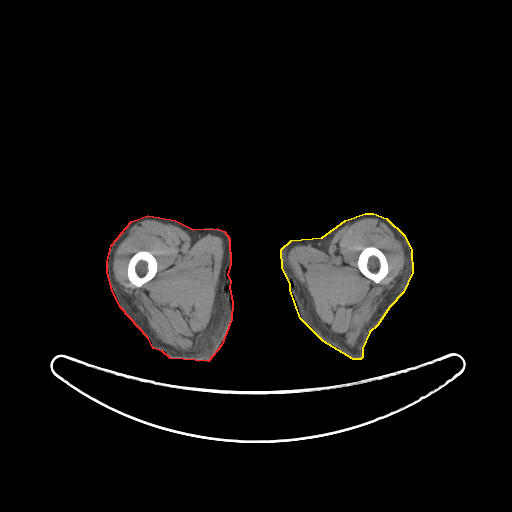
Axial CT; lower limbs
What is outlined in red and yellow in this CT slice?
red: right leg; yellow: left leg.
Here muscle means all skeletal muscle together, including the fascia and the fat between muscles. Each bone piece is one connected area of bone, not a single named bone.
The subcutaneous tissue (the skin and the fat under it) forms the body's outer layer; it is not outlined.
Outlines (x, y in pixels):
right leg: 148,215 175,220 193,229 217,228 224,231 229,238 230,264 227,274 230,281 229,287 232,302 231,319 221,345 208,361 170,358 162,351 153,348 148,338 120,307 112,290 107,272 107,261 111,245 131,221
left leg: 365,213 373,213 386,218 404,235 411,250 412,272 403,292 389,307 377,325 369,332 362,348 362,357 360,359 353,359 323,341 300,318 290,290 290,283 282,268 281,249 291,240 322,237 345,220
bones 1: 368,246 374,246 378,248 383,252 387,260 387,263 388,264 388,272 387,274 380,281 380,282 378,283 376,283 371,279 366,277 360,271 357,265 357,261 358,260 358,257 359,256 359,254 365,247 367,247
bones 2: 141,250 145,250 146,251 149,251 155,257 156,261 157,262 157,271 155,275 150,280 145,282 141,286 137,287 135,286 129,280 128,276 127,275 127,267 128,266 128,263 129,262 130,258 135,253
muscle 1: 146,219 177,226 189,234 211,234 219,236 223,241 223,258 215,291 211,318 205,333 201,338 201,342 194,349 177,349 160,340 149,327 146,318 132,303 115,279 113,260 117,247 128,235 130,229 135,224, around a hole outlined by 141,250 145,250 146,251 149,251 155,257 156,261 157,262 157,271 155,275 150,280 145,282 141,286 137,287 135,286 129,280 128,276 127,275 127,267 128,266 128,263 129,262 130,258 135,253
muscle 2: 363,218 375,218 383,222 392,231 394,236 402,245 405,263 394,286 364,326 356,343 353,346 350,346 338,334 324,327 316,315 306,291 294,275 288,261 288,253 294,246 297,245 325,245 331,240 338,230 with a hole at 368,246 374,246 378,248 383,252 387,260 387,263 388,264 388,272 387,274 380,281 380,282 378,283 376,283 371,279 366,277 360,271 357,265 357,261 358,260 358,257 359,256 359,254 365,247 367,247